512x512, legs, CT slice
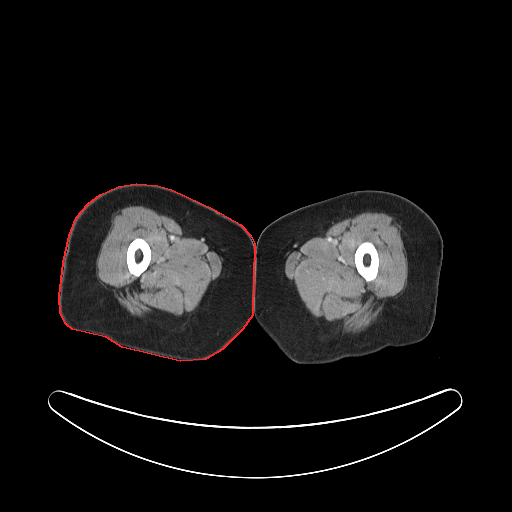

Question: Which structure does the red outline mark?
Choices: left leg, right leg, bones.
Answer: red: right leg.
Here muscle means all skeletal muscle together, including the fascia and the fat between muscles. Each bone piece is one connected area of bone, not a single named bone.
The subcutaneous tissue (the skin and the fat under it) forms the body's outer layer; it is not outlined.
Outlines (x, y in pixels):
right leg: [[136,183],[157,185],[171,189],[214,209],[240,224],[250,235],[254,243],[252,315],[242,329],[222,349],[205,359],[180,361],[122,347],[106,337],[72,329],[66,324],[60,313],[59,296],[63,262],[69,235],[76,217],[88,203],[100,194],[118,186]]
muscle 1: [[366,211],[384,212],[392,216],[403,230],[408,241],[407,283],[403,291],[386,299],[384,308],[373,325],[353,336],[342,335],[339,331],[325,327],[307,310],[294,283],[286,276],[285,262],[290,252],[297,250],[305,241],[317,235],[324,228],[334,222]], around a hole outlined by [[365,241],[369,241],[374,245],[377,250],[378,258],[379,259],[379,266],[378,267],[378,272],[377,273],[377,275],[376,277],[371,281],[366,281],[365,279],[358,273],[356,269],[355,262],[354,261],[354,255],[355,254],[356,249],[362,242],[364,242]]
muscle 2: [[129,205],[142,205],[173,218],[186,234],[206,243],[210,250],[215,251],[221,257],[219,276],[210,282],[198,306],[192,312],[186,312],[179,317],[167,315],[146,320],[134,317],[120,305],[112,290],[104,287],[98,279],[96,259],[110,228],[112,215]], around a hole outlined by [[137,237],[144,239],[149,245],[149,247],[151,250],[151,259],[150,260],[149,265],[147,267],[147,268],[138,277],[136,277],[134,275],[130,274],[129,273],[129,270],[127,267],[127,263],[126,262],[126,252],[127,251],[127,248],[129,244],[135,238]]
left leg: [[366,189],[389,191],[409,199],[430,216],[440,232],[443,240],[443,259],[436,313],[431,331],[423,340],[414,345],[399,348],[386,347],[363,357],[344,358],[322,365],[295,362],[278,347],[253,315],[255,244],[261,231],[269,223],[290,211],[342,193]]
bones 1: [[365,241],[369,241],[374,245],[377,250],[378,258],[379,259],[379,266],[378,267],[378,272],[377,273],[377,275],[376,277],[371,281],[366,281],[365,279],[358,273],[356,269],[355,262],[354,261],[354,255],[355,254],[356,249],[362,242],[364,242]]
bones 2: [[137,237],[144,239],[149,245],[149,247],[151,250],[151,259],[150,260],[149,265],[147,267],[147,268],[138,277],[136,277],[134,275],[130,274],[129,273],[129,270],[127,267],[127,263],[126,262],[126,252],[127,251],[127,248],[129,244],[135,238]]